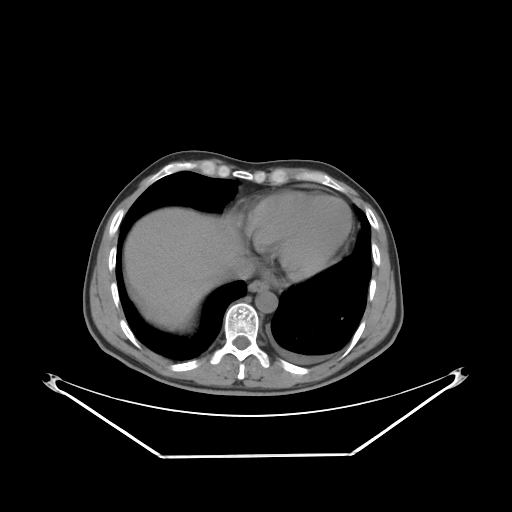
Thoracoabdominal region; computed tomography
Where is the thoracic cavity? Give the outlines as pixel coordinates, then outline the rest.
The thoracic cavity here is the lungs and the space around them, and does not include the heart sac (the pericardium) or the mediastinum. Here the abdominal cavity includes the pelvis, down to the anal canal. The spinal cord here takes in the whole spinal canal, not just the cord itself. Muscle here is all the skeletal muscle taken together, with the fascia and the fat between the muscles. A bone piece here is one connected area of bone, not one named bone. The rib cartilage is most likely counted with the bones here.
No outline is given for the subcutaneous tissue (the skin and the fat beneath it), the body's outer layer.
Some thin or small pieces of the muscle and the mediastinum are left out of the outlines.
Outlined structures:
thoracic cavity 1: [[358,209],[363,211],[371,228],[371,277],[368,283],[366,304],[361,319],[348,343],[335,357],[323,363],[310,366],[292,363],[280,357],[266,341],[266,320],[276,311],[282,293],[289,287],[309,280],[343,258],[351,255],[356,246],[361,229],[361,220]]
thoracic cavity 2: [[181,171],[234,180],[235,194],[221,211],[168,204],[138,217],[121,247],[128,299],[150,327],[190,338],[215,290],[241,280],[246,292],[228,304],[221,336],[209,349],[196,358],[174,362],[135,336],[121,305],[115,268],[118,231],[129,208],[156,181]]
abdominal cavity: [[168,205],[189,206],[214,212],[228,211],[228,217],[241,233],[245,249],[253,264],[253,271],[248,277],[230,281],[215,289],[207,297],[201,309],[199,326],[190,337],[165,333],[146,323],[129,299],[123,280],[121,260],[126,234],[138,218],[156,208]]
pericardium: [[295,184],[312,184],[315,186],[322,186],[343,197],[349,203],[353,212],[355,231],[353,234],[353,240],[347,252],[336,263],[303,282],[284,287],[254,267],[254,264],[246,249],[244,237],[229,217],[229,209],[239,199],[248,194],[263,189],[290,186]]
torso: [[181,150],[214,151],[254,162],[319,160],[339,168],[366,189],[389,222],[399,258],[404,317],[394,342],[337,381],[303,392],[273,396],[217,395],[178,388],[134,370],[104,352],[90,335],[82,312],[83,281],[95,231],[112,200],[132,178],[156,159]]
mediastinum 1: [[254,268],[267,276],[279,286],[287,288],[281,293],[275,311],[273,311],[265,320],[264,338],[264,336],[260,332],[260,319],[258,313],[251,304],[240,301],[233,303],[228,307],[231,302],[246,294],[247,286],[246,283],[242,280],[248,278],[253,273]]
mediastinum 2: [[229,177],[270,185],[281,185],[294,180],[315,182],[345,194],[359,208],[357,214],[360,229],[352,252],[343,257],[354,240],[356,220],[350,203],[339,193],[312,183],[274,186],[248,193],[228,210],[222,211],[226,203],[235,196],[238,186],[238,182]]
muscle 1: [[150,175],[144,184],[145,189],[128,209],[119,208],[111,218],[108,235],[113,237],[117,232],[117,238],[116,245],[109,249],[107,266],[110,272],[114,271],[110,293],[115,307],[120,305],[124,315],[118,322],[122,332],[138,349],[143,345],[173,362],[168,366],[171,371],[184,372],[199,367],[201,360],[197,358],[219,338],[209,363],[216,365],[225,355],[233,355],[238,361],[236,378],[242,380],[245,377],[243,362],[248,356],[253,355],[263,368],[270,366],[270,356],[259,342],[260,333],[279,356],[277,361],[281,367],[295,375],[308,374],[311,370],[308,367],[328,362],[346,346],[339,358],[351,351],[365,329],[366,320],[362,317],[367,301],[373,300],[376,291],[372,261],[378,267],[381,254],[371,235],[372,229],[378,231],[380,225],[371,208],[367,205],[360,208],[335,179],[347,184],[369,203],[384,226],[396,295],[395,318],[390,330],[379,343],[331,375],[284,388],[245,387],[239,383],[223,387],[181,380],[162,375],[119,350],[103,337],[93,321],[89,303],[90,282],[109,217]]
muscle 2: [[270,167],[291,167],[292,168],[308,168],[309,169],[318,170],[303,170],[302,171],[297,172],[296,173],[295,173],[292,176],[292,178],[293,179],[293,180],[290,180],[289,181],[289,179],[290,178],[290,177],[289,176],[288,173],[284,169],[283,169],[282,168],[276,168],[269,172],[266,172],[263,170],[259,170],[258,171],[256,171],[255,172],[251,172],[250,171],[247,170],[267,170],[268,169],[268,168],[269,168]]
muscle 3: [[211,158],[220,159],[228,164],[232,164],[236,166],[238,169],[234,169],[233,170],[231,170],[231,169],[225,164],[217,164],[212,160],[209,159],[204,159],[200,162],[194,162],[188,160],[184,161],[177,161],[182,161],[183,160],[196,160],[197,159],[210,159]]
spinal cord: [[239,336],[243,336],[244,337],[245,337],[246,338],[247,338],[247,339],[249,341],[249,344],[246,347],[245,347],[244,348],[243,348],[242,349],[240,349],[239,348],[238,348],[233,343],[233,341],[237,337],[238,337]]
bones 1: [[240,302],[247,303],[255,309],[259,319],[258,342],[269,356],[269,366],[263,367],[253,354],[248,355],[242,362],[244,364],[244,377],[242,379],[237,378],[239,361],[233,354],[225,354],[216,364],[209,361],[213,350],[220,345],[223,321],[227,309]] with a hole at [[239,336],[243,336],[244,337],[245,337],[246,338],[247,338],[247,339],[249,341],[249,344],[246,347],[245,347],[244,348],[243,348],[242,349],[240,349],[239,348],[238,348],[233,343],[233,341],[237,337],[238,337]]
bones 2: [[204,160],[225,165],[231,171],[241,169],[251,173],[269,173],[282,169],[289,178],[281,184],[270,184],[267,181],[258,183],[233,176],[208,176],[200,173],[197,168],[168,174],[146,188],[147,180],[169,163],[200,163]]
bones 3: [[303,171],[319,171],[320,172],[325,173],[333,178],[341,186],[342,186],[346,190],[346,192],[345,193],[341,192],[327,185],[325,185],[315,181],[309,181],[308,180],[295,180],[293,178],[293,176],[295,174],[302,172]]
bones 4: [[192,359],[198,359],[200,360],[200,364],[199,366],[195,368],[193,368],[189,370],[185,370],[184,371],[173,371],[169,368],[169,366],[173,363],[177,363],[178,362],[183,362],[184,361],[188,361]]
bones 5: [[278,358],[281,358],[292,364],[294,364],[298,366],[307,367],[309,368],[310,370],[308,373],[306,373],[305,374],[295,374],[294,373],[289,372],[285,370],[282,367],[282,366],[279,363],[278,361]]
bones 6: [[363,319],[365,320],[365,326],[364,327],[364,329],[360,337],[358,339],[357,342],[354,345],[354,346],[350,350],[350,351],[342,358],[340,358],[341,355],[344,352],[349,342],[351,340],[351,338],[353,334],[355,332],[356,329],[358,327],[361,320]]
bones 7: [[121,208],[124,209],[126,211],[126,212],[124,214],[124,215],[120,222],[120,224],[119,225],[118,230],[114,234],[114,235],[113,236],[110,236],[109,235],[109,227],[110,226],[110,224],[111,223],[112,218],[115,214],[115,213],[119,209],[120,209]]
bones 8: [[124,318],[125,319],[128,326],[130,328],[131,331],[133,333],[134,336],[140,343],[140,344],[141,345],[141,348],[138,348],[136,346],[135,346],[129,340],[129,339],[123,332],[123,331],[120,326],[120,323],[119,322],[121,319],[123,319]]
bones 9: [[365,206],[367,206],[368,207],[369,207],[370,208],[370,209],[373,212],[373,213],[377,220],[377,222],[379,225],[379,229],[378,230],[376,230],[371,227],[371,226],[370,225],[370,223],[369,222],[369,221],[363,210],[364,209],[364,207]]
bones 10: [[371,241],[373,241],[377,245],[377,246],[378,247],[378,248],[379,249],[379,253],[380,254],[380,264],[378,266],[377,266],[376,265],[375,265],[374,264],[374,263],[373,262],[373,261],[372,260],[372,254],[371,253]]
bones 11: [[113,246],[116,246],[116,254],[115,255],[115,267],[114,268],[114,270],[113,270],[112,271],[110,271],[109,270],[109,267],[108,266],[108,258],[109,257],[109,252],[110,251],[110,249]]
bones 12: [[114,281],[115,281],[116,282],[116,285],[117,286],[117,291],[118,292],[118,295],[119,296],[119,301],[120,302],[120,304],[118,307],[116,307],[116,306],[114,303],[114,301],[113,300],[113,297],[112,296],[112,294],[111,293],[111,283]]
bones 13: [[371,278],[374,278],[375,279],[375,291],[374,292],[374,294],[373,295],[373,298],[372,299],[372,300],[371,301],[368,301],[367,300],[367,298],[368,297],[368,289],[369,288],[369,283],[370,282],[370,280],[371,279]]